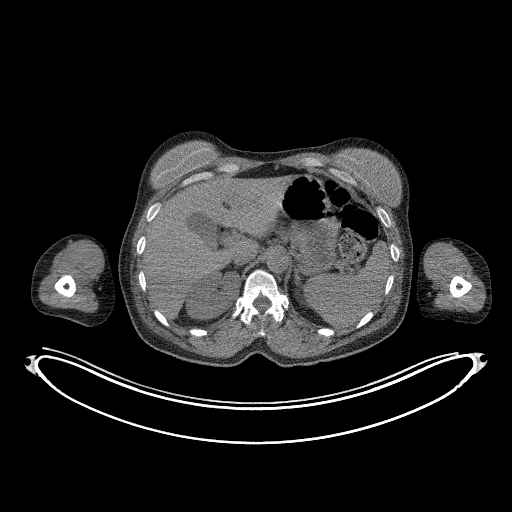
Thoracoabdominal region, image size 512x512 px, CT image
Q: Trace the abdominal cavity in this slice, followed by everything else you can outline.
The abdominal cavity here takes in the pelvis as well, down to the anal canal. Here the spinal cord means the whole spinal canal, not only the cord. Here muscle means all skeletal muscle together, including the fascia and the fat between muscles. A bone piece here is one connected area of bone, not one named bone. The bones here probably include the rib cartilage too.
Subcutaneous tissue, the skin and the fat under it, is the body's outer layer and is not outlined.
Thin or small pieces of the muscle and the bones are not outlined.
A: Outlines:
abdominal cavity: 270,164 329,172 353,186 376,213 389,243 391,264 383,293 355,324 320,327 299,315 282,292 289,256 283,248 272,247 246,273 241,294 227,315 204,328 168,320 152,301 144,273 146,237 162,204 186,186
left arm: 440,236 456,238 470,245 481,254 488,265 491,278 492,302 488,314 480,322 473,324 465,324 461,322 456,322 450,319 438,321 434,318 425,317 420,312 416,299 416,284 419,255 422,247 426,242 433,238
breast implant 1: 350,146 351,147 354,146 355,147 369,148 384,155 391,161 398,173 400,184 401,196 399,202 396,206 393,206 392,208 384,198 377,192 374,191 369,185 353,171 344,165 332,153 336,152 341,148 345,148
breast implant 2: 193,139 202,139 206,141 209,141 213,143 221,153 211,161 208,161 193,169 190,169 182,173 181,175 164,183 163,185 158,187 153,187 152,184 150,183 151,170 158,158 165,151 171,148 174,145
muscle 1: 304,152 318,152 323,154 332,154 344,166 353,172 354,174 369,186 374,192 377,193 384,199 392,209 396,225 399,229 399,234 401,237 402,246 404,251 404,258 403,259 404,270 403,271 403,277 401,285 401,289 402,290 401,300 396,313 390,321 385,326 377,330 375,330 371,333 357,338 355,340 342,346 337,347 321,354 309,356 308,357 301,357 300,358 288,357 274,352 267,345 265,340 263,338 259,337 256,338 249,345 245,346 232,356 225,358 210,357 198,354 182,348 169,340 167,340 151,331 141,319 135,305 135,301 133,297 133,293 131,290 131,284 130,283 130,263 131,262 130,260 131,259 132,239 136,230 137,224 149,199 158,188 161,186 163,186 164,184 169,182 171,180 173,180 181,176 182,174 190,170 193,170 204,164 206,164 208,162 211,162 216,159 221,154 228,156 237,156 258,161 268,161 with holes at 270,164 328,173 330,167 341,170 356,180 374,208 381,206 386,211 392,225 384,228 385,234 399,249 398,260 392,260 389,268 393,282 388,293 381,294 368,322 359,328 355,324 337,328 329,336 319,334 320,326 299,315 290,303 281,322 271,315 262,322 255,315 245,324 238,316 231,317 233,308 205,327 207,334 203,336 195,336 189,327 169,320 165,326 154,314 156,306 148,288 143,291 138,280 139,271 144,270 144,253 137,254 136,245 142,235 148,235 152,223 146,220 149,207 156,202 163,204 184,187 182,180 194,173 214,173 194,184 and at 225,163 235,163 236,164 237,164 238,165 239,165 239,171 238,171 237,172 236,172 235,173 228,173 227,172 220,172 219,171 217,171 217,168 220,165 221,165 222,164 224,164 and at 305,157 315,157 316,158 318,158 319,159 320,159 323,162 323,163 324,164 323,165 323,166 304,166 302,164 302,163 301,162 301,159 302,158 304,158 and at 262,325 263,326 263,328 264,329 264,331 265,332 265,335 264,336 259,336 258,335 258,331 261,328 261,326
muscle 2: 80,239 88,239 94,242 101,249 104,257 104,268 99,274 99,278 94,283 93,287 98,301 98,307 91,313 73,308 52,307 43,303 38,297 39,284 50,272 50,267 55,255 63,249 70,240 76,241, around a hole outlined by 64,274 69,274 71,275 74,279 75,281 75,284 76,285 76,288 75,289 75,291 73,295 69,297 64,296 62,294 59,293 54,288 54,285 56,281 62,275
muscle 3: 436,242 451,242 465,255 472,266 473,272 477,275 483,282 485,286 486,298 484,305 480,310 476,312 445,310 444,309 436,308 433,305 434,293 431,287 432,282 427,278 424,272 423,258 427,248 431,244 with a hole at 454,275 460,275 461,276 462,276 466,280 467,280 469,282 470,282 471,283 471,288 466,293 465,293 460,297 454,297 453,296 452,296 452,295 449,290 449,283 450,282 451,279 453,277 453,276
mediastinum 1: 272,248 279,248 280,249 283,249 288,256 288,268 287,269 287,273 281,291 278,282 274,275 269,271 263,268 257,267 250,271 247,275 247,273 252,268 253,268 258,263 260,259
mediastinum 2: 354,186 355,186 356,187 357,187 367,197 367,198 369,200 369,201 373,206 373,207 374,208 374,209 375,210 375,211 374,210 374,209 363,198 362,198 356,192 356,191 355,190 355,188 354,187
right arm: 75,233 83,233 90,235 99,240 103,244 109,257 111,272 114,283 115,300 113,309 108,318 104,322 92,327 84,326 61,317 42,314 33,306 30,298 31,277 33,268 38,258 49,246 57,240 64,236
bones 1: 257,268 263,269 272,274 277,282 279,290 285,294 289,300 289,306 285,311 281,322 276,321 271,315 268,315 262,322 255,315 248,324 245,324 238,316 234,318 231,317 236,300 242,294 246,277 250,272 with a hole at 261,295 262,296 264,296 265,297 266,297 270,301 270,306 269,307 268,307 264,311 263,311 262,312 261,312 260,311 259,311 254,306 254,305 253,304 253,302 259,296 260,296
bones 2: 64,274 69,274 71,275 74,279 75,281 75,284 76,285 76,288 75,289 75,291 73,295 69,297 64,296 62,294 59,293 54,288 54,285 56,281 62,275
bones 3: 454,275 460,275 461,276 462,276 466,280 467,280 469,282 470,282 471,283 471,288 466,293 465,293 460,297 454,297 453,296 452,296 452,295 449,290 449,283 450,282 451,279 453,277 453,276
bones 4: 202,171 212,171 214,173 213,176 211,177 209,177 208,178 206,178 205,179 200,179 197,181 194,181 186,185 181,186 181,182 183,179 184,179 186,177 194,173 197,173 198,172 201,172
bones 5: 330,167 333,167 334,168 336,168 339,170 341,170 351,175 356,180 357,182 357,185 356,186 355,185 353,185 351,183 349,183 346,181 344,181 340,179 335,175 332,174 328,170 328,169
bones 6: 377,206 381,206 386,211 386,212 388,214 388,215 391,220 391,222 392,223 392,225 391,226 391,227 385,227 384,226 384,225 380,220 380,219 379,218 379,217 376,212 376,210 375,209 375,208
bones 7: 225,163 235,163 236,164 237,164 238,165 239,165 239,171 238,171 237,172 236,172 235,173 228,173 227,172 220,172 219,171 217,171 217,168 220,165 221,165 222,164 224,164
bones 8: 305,157 315,157 316,158 318,158 319,159 320,159 323,162 323,163 324,164 323,165 323,166 304,166 302,164 302,163 301,162 301,159 302,158 304,158
bones 9: 156,202 159,202 160,203 161,203 161,206 159,209 159,211 156,214 156,215 153,218 153,219 151,221 147,221 146,220 146,213 147,212 147,211 148,210 148,209 149,208 149,207 152,204 153,204
bones 10: 142,235 144,235 145,236 145,237 146,238 146,241 145,242 145,247 143,250 143,252 141,254 140,254 139,255 138,254 137,254 137,253 136,252 136,245 137,244 137,242 138,241 138,240 139,239 139,238
bones 11: 369,311 372,311 373,312 373,316 370,319 370,320 368,322 367,322 365,324 364,324 362,326 361,326 359,328 356,328 355,327 356,326 356,324 361,319 361,318 362,318
bones 12: 154,309 157,309 165,317 165,318 167,320 167,321 169,323 169,326 165,326 162,323 161,323 157,319 157,318 155,316 155,315 154,314 154,312 153,311 154,310
bones 13: 140,270 142,270 143,271 143,273 144,274 144,275 145,276 145,281 146,282 146,290 145,291 143,291 142,290 142,289 141,288 141,287 140,286 140,284 139,283 139,281 138,280 138,273 139,272 139,271
bones 14: 390,274 392,274 393,275 393,282 392,283 392,285 391,286 391,288 389,290 389,291 388,292 388,293 387,294 385,294 384,293 384,288 385,287 385,285 386,284 386,281 387,280 387,279 388,278 388,276
torso: 186,130 204,130 232,147 251,151 315,146 345,136 366,137 388,148 408,177 414,251 410,298 399,327 355,354 292,367 281,367 257,353 232,367 204,365 146,344 135,331 122,296 119,249 146,160 162,141
spinal cord: 261,295 262,296 264,296 265,297 266,297 270,301 270,306 269,307 268,307 264,311 263,311 262,312 261,312 260,311 259,311 254,306 254,305 253,304 253,302 259,296 260,296